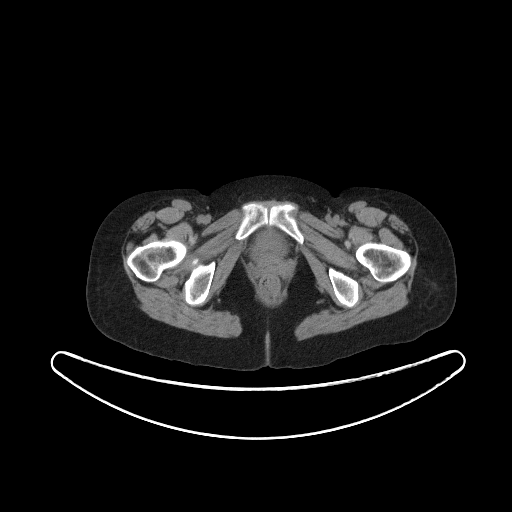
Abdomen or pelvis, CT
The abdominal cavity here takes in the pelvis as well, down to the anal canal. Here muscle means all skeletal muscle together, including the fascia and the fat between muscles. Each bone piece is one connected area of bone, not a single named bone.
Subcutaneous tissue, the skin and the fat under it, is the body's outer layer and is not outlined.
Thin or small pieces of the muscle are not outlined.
{"muscle":[{"outer":[[163,196],[191,202],[212,222],[240,206],[234,238],[245,240],[240,255],[266,301],[280,297],[295,246],[305,237],[293,214],[295,204],[249,201],[291,201],[322,220],[351,201],[383,201],[417,245],[410,302],[348,329],[297,340],[295,326],[329,299],[316,287],[301,253],[287,296],[275,307],[256,299],[236,263],[214,295],[213,308],[239,316],[243,329],[237,337],[207,336],[155,320],[138,307],[121,245],[133,222]],"holes":[[[172,239],[173,240],[180,241],[187,246],[187,251],[183,259],[175,266],[165,269],[161,273],[159,278],[153,282],[146,282],[138,278],[134,274],[127,263],[127,257],[130,252],[137,246],[144,245],[151,241],[154,241],[155,240],[171,240]],[[367,242],[383,243],[392,247],[406,251],[409,254],[410,256],[410,260],[411,261],[410,265],[406,272],[403,275],[394,281],[391,282],[383,283],[376,280],[370,273],[369,270],[366,267],[362,265],[357,260],[355,256],[355,251],[356,249],[360,245]],[[194,259],[197,259],[197,261],[200,264],[207,264],[211,261],[215,261],[214,273],[208,295],[205,301],[203,303],[198,305],[191,305],[187,303],[185,301],[185,292],[184,291],[184,283],[188,278],[192,269],[194,267],[194,265],[192,264],[192,262]],[[329,267],[332,267],[337,270],[339,270],[345,274],[350,276],[357,281],[358,283],[358,300],[353,306],[351,307],[348,307],[345,305],[342,305],[338,301],[337,298],[334,294],[333,288],[332,287],[332,284],[329,277],[329,274],[328,273],[328,269]]]}],"abdominal_cavity":[[[266,225],[277,227],[290,236],[296,242],[293,250],[293,264],[290,271],[290,274],[286,284],[284,286],[279,297],[276,300],[266,300],[265,299],[263,294],[258,287],[254,277],[248,269],[249,266],[241,255],[241,253],[244,248],[246,239],[257,229]]],"bones":[[[172,239],[173,240],[180,241],[187,246],[187,251],[183,259],[175,266],[165,269],[161,273],[159,278],[153,282],[146,282],[138,278],[134,274],[127,263],[127,257],[130,252],[137,246],[144,245],[151,241],[154,241],[155,240],[171,240]],[[248,202],[259,202],[267,206],[287,202],[295,205],[297,208],[296,210],[292,212],[292,214],[296,219],[297,225],[303,234],[304,237],[303,243],[300,244],[277,226],[267,224],[257,228],[245,239],[241,240],[236,239],[235,233],[242,218],[241,206]],[[367,242],[383,243],[392,247],[406,251],[409,254],[410,256],[410,260],[411,261],[410,265],[406,272],[403,275],[394,281],[391,282],[383,283],[376,280],[370,273],[369,270],[366,267],[362,265],[357,260],[355,256],[355,251],[356,249],[360,245]],[[194,259],[197,259],[197,261],[200,264],[207,264],[211,261],[215,261],[214,273],[208,295],[205,301],[203,303],[198,305],[191,305],[187,303],[185,301],[185,292],[184,291],[184,283],[188,278],[192,269],[194,267],[194,265],[192,264],[192,262]],[[329,267],[332,267],[337,270],[339,270],[345,274],[350,276],[357,281],[358,283],[358,300],[353,306],[351,307],[348,307],[345,305],[342,305],[338,301],[337,298],[334,294],[333,288],[332,287],[332,284],[329,277],[329,274],[328,273],[328,269]]],"torso":[[[261,174],[300,177],[333,194],[350,186],[389,188],[421,202],[445,229],[454,252],[457,295],[447,321],[412,341],[379,345],[301,369],[193,365],[132,349],[102,334],[89,316],[85,288],[93,238],[105,216],[141,192],[194,188],[209,193],[227,182]]]}